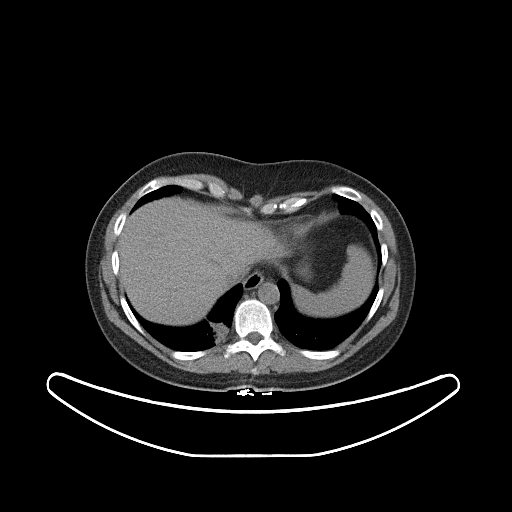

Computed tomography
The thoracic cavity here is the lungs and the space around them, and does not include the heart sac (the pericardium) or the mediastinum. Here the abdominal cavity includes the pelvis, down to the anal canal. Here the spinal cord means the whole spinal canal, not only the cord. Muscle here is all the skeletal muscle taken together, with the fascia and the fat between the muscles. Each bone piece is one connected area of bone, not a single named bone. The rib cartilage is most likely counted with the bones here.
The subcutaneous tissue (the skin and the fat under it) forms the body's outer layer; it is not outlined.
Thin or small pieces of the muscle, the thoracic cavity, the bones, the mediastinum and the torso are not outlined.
{"thoracic_cavity":[[[280,279],[283,279],[287,283],[294,309],[300,315],[311,319],[334,319],[349,314],[359,308],[368,299],[376,283],[378,284],[378,288],[366,316],[350,335],[334,348],[311,350],[300,348],[288,341],[274,324],[273,316],[280,305],[280,291],[278,287]],[[237,284],[241,284],[242,293],[234,308],[232,317],[233,323],[228,335],[222,341],[216,343],[214,346],[201,350],[174,350],[164,345],[144,329],[127,301],[127,299],[133,309],[148,322],[170,327],[187,327],[195,325],[205,320],[216,302],[226,292]],[[333,194],[347,198],[359,203],[368,212],[377,230],[378,241],[380,244],[380,259],[381,260],[380,269],[378,269],[377,265],[378,264],[377,263],[376,246],[374,243],[372,233],[367,224],[355,214],[344,213],[340,211],[338,208],[336,200],[332,197]],[[168,185],[177,185],[180,186],[183,188],[181,191],[175,193],[171,193],[168,195],[164,195],[161,197],[158,197],[155,199],[146,201],[134,210],[131,211],[131,209],[133,207],[134,204],[140,198],[150,192],[152,192],[161,187],[167,186]]],"torso":[[[182,151],[207,151],[258,163],[289,159],[325,160],[358,173],[383,191],[405,221],[416,262],[411,310],[391,351],[373,366],[347,380],[302,391],[189,389],[149,377],[124,361],[105,339],[90,306],[84,272],[88,237],[101,208],[124,181],[150,161]]],"pericardium":[[[304,214],[311,214],[314,216],[314,218],[309,220],[306,223],[302,225],[289,236],[283,236],[281,235],[279,233],[278,231],[278,229],[272,223],[272,222],[275,220],[280,220],[281,219],[284,219],[285,218],[289,218],[290,217],[301,216]]],"mediastinum":[[[257,264],[264,264],[272,266],[277,269],[279,274],[281,276],[281,278],[277,282],[277,287],[279,291],[279,305],[273,315],[272,315],[270,309],[263,302],[256,298],[247,298],[238,303],[243,293],[243,286],[241,281],[245,279],[247,273]],[[330,195],[335,200],[338,209],[317,217],[315,217],[311,213],[304,213],[301,215],[275,219],[272,221],[268,218],[266,219],[259,217],[255,215],[254,213],[254,211],[255,211],[262,215],[289,214],[296,211],[304,205],[312,201],[317,200],[324,196]],[[184,188],[186,188],[189,190],[196,191],[197,192],[198,191],[200,192],[203,192],[210,196],[212,196],[214,198],[215,198],[215,199],[213,200],[206,200],[205,199],[198,199],[191,195],[186,195],[185,194],[182,194],[179,192],[181,192]]],"bones":[{"outer":[[247,299],[256,299],[269,309],[275,326],[272,337],[281,344],[285,350],[284,355],[280,355],[270,349],[266,349],[258,356],[256,361],[254,361],[251,355],[246,351],[239,351],[227,358],[224,357],[226,345],[238,338],[233,321],[235,308],[239,303]],"hole":[[251,332],[257,332],[258,333],[259,333],[261,335],[261,336],[262,337],[256,343],[255,343],[254,344],[253,343],[252,343],[250,341],[249,341],[246,338],[246,336],[249,333],[250,333]]},[[161,177],[192,178],[199,180],[204,184],[206,184],[208,181],[212,181],[217,183],[225,191],[225,195],[222,198],[218,198],[211,195],[206,187],[197,191],[183,187],[177,184],[168,184],[150,191],[138,199],[137,198],[138,192],[146,183],[154,178]],[[291,197],[305,197],[307,198],[308,200],[307,203],[304,204],[292,212],[290,212],[289,213],[282,213],[282,212],[279,209],[277,209],[276,211],[272,214],[262,214],[259,212],[259,209],[260,207],[261,207],[264,204],[266,204],[267,203],[279,203]],[[298,349],[305,349],[306,350],[310,350],[311,351],[326,351],[327,350],[331,350],[332,349],[338,349],[340,351],[340,353],[338,355],[337,355],[333,358],[328,358],[327,359],[312,359],[311,358],[309,358],[308,357],[306,357],[302,355],[298,351]],[[334,185],[344,185],[345,186],[348,186],[349,187],[351,187],[353,188],[360,194],[361,196],[361,200],[360,202],[358,202],[355,200],[350,199],[347,197],[345,197],[344,196],[342,196],[338,194],[335,194],[334,193],[332,193],[330,190],[330,188]],[[121,295],[123,295],[125,297],[126,299],[126,301],[130,309],[132,311],[134,316],[136,318],[139,324],[145,331],[145,335],[142,334],[139,331],[138,331],[138,330],[129,321],[129,320],[127,318],[121,306],[121,303],[120,302],[120,296]],[[173,350],[174,351],[181,351],[182,352],[194,352],[195,351],[201,351],[202,350],[208,350],[207,352],[204,355],[200,357],[195,358],[194,359],[189,359],[188,360],[186,360],[185,359],[177,359],[176,358],[174,358],[172,357],[170,354]],[[379,287],[382,287],[383,288],[383,295],[381,298],[380,303],[377,309],[375,311],[374,314],[372,316],[372,317],[367,322],[364,322],[364,320],[367,316],[369,312],[369,310],[376,297],[376,295],[377,294],[377,292],[378,291],[378,289]],[[122,212],[125,212],[126,213],[126,217],[125,218],[125,221],[123,224],[123,227],[122,228],[119,235],[118,236],[116,236],[114,234],[114,232],[113,231],[113,228],[114,227],[114,224],[115,223],[115,221],[116,220],[117,217],[119,215],[119,214]],[[373,208],[379,214],[379,215],[382,220],[382,224],[383,225],[383,226],[382,227],[382,229],[381,230],[378,230],[377,229],[377,228],[376,227],[376,226],[375,225],[375,224],[374,223],[374,222],[369,213],[369,211],[371,209],[372,209]],[[114,250],[117,250],[117,253],[118,254],[118,258],[119,259],[119,267],[118,268],[118,274],[117,275],[116,275],[115,274],[114,274],[114,273],[113,272],[113,269],[112,268],[112,264],[111,263],[111,255],[112,254],[112,252]],[[381,243],[385,243],[386,244],[386,245],[387,246],[387,260],[386,261],[386,263],[385,264],[385,265],[384,266],[382,266],[382,260],[381,259]]],"spinal_cord":[[[251,332],[257,332],[258,333],[259,333],[261,335],[261,336],[262,337],[256,343],[255,343],[254,344],[253,343],[252,343],[250,341],[249,341],[246,338],[246,336],[249,333],[250,333]]],"muscle":[[[140,187],[136,195],[137,200],[127,215],[125,211],[122,211],[114,221],[112,231],[116,237],[119,236],[119,239],[118,248],[111,252],[110,263],[113,274],[119,275],[123,290],[123,294],[119,296],[119,302],[126,318],[142,335],[145,336],[147,332],[158,342],[171,349],[169,354],[172,358],[188,361],[204,356],[208,349],[222,342],[229,335],[233,324],[237,338],[225,345],[223,357],[226,359],[236,353],[246,352],[256,362],[266,350],[284,356],[286,350],[273,337],[275,328],[282,337],[299,348],[297,351],[306,358],[327,360],[338,356],[341,351],[335,348],[362,322],[367,323],[373,317],[384,295],[384,288],[378,283],[380,270],[388,260],[388,246],[385,242],[380,243],[378,236],[378,231],[381,231],[384,226],[383,220],[373,207],[368,211],[360,203],[362,196],[357,190],[366,194],[381,208],[395,235],[396,259],[400,265],[399,305],[395,318],[354,354],[336,365],[319,371],[274,375],[236,372],[196,373],[168,364],[111,322],[104,312],[101,301],[98,274],[104,250],[106,228],[116,210]],[[189,173],[207,173],[215,175],[230,186],[238,189],[248,197],[259,193],[268,198],[296,191],[320,190],[330,185],[333,185],[329,188],[332,194],[324,195],[309,202],[308,198],[305,196],[291,196],[279,202],[264,203],[259,207],[258,212],[252,210],[249,207],[242,208],[221,199],[217,200],[216,198],[224,198],[226,195],[226,191],[215,181],[208,180],[206,183],[204,183],[201,180],[192,177],[157,177],[176,176]]],"abdominal_cavity":[[[176,193],[221,200],[248,214],[253,211],[271,221],[283,237],[336,210],[355,215],[371,233],[378,281],[353,311],[334,318],[311,318],[295,309],[288,283],[278,269],[257,263],[215,302],[205,319],[187,326],[148,321],[124,295],[120,234],[130,211]]]}